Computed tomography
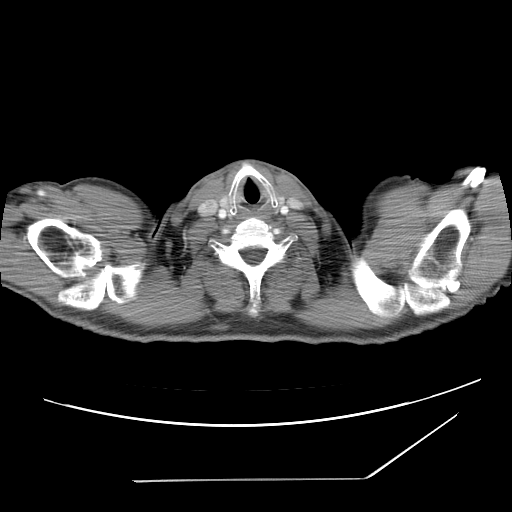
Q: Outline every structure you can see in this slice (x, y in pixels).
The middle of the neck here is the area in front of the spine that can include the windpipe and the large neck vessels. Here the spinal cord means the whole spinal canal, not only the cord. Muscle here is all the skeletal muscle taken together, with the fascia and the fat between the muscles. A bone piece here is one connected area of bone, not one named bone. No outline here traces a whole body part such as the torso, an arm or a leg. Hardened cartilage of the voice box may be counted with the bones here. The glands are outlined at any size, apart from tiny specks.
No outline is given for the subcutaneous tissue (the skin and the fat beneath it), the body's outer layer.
A: {"thyroid_glands":[[[223,196],[227,196],[227,203],[228,204],[228,205],[227,206],[227,208],[224,208],[223,207],[222,207],[221,206],[221,205],[220,204],[220,199]],[[278,196],[283,196],[283,197],[284,198],[284,200],[283,201],[283,203],[282,204],[282,205],[279,208],[279,209],[278,210],[278,211],[276,213],[274,213],[274,211],[275,210],[275,209],[277,207],[277,206],[280,203],[279,202],[279,199],[278,198]]],"middle_of_the_neck":[[[248,176],[261,182],[274,214],[279,211],[285,198],[300,202],[303,208],[298,210],[290,207],[283,215],[265,219],[253,215],[240,221],[220,219],[217,215],[202,216],[198,213],[200,205],[210,200],[219,201],[220,206],[234,216],[238,211],[239,184]]],"spinal_cord":[[[247,247],[257,247],[258,248],[263,248],[266,250],[266,251],[264,254],[264,256],[263,257],[263,258],[257,264],[255,264],[254,265],[253,264],[250,264],[249,263],[246,262],[242,257],[242,255],[240,252],[240,250],[241,250],[244,248],[246,248]]],"bones":[[[452,209],[465,211],[471,229],[461,252],[459,287],[453,293],[444,292],[449,297],[449,305],[421,315],[414,314],[407,304],[396,315],[387,317],[373,313],[356,289],[351,263],[362,257],[387,283],[396,287],[408,283],[408,270],[418,243]],[[42,218],[59,218],[93,234],[100,241],[101,260],[86,271],[87,279],[107,263],[123,266],[144,262],[146,265],[135,298],[118,303],[105,294],[100,304],[92,310],[59,302],[57,297],[61,290],[85,279],[61,277],[32,248],[26,237],[27,227]],{"outer":[[253,216],[280,230],[280,233],[275,236],[276,240],[291,234],[297,235],[297,239],[286,251],[284,259],[269,267],[264,273],[255,316],[248,313],[252,302],[249,283],[244,274],[221,263],[209,243],[209,239],[213,238],[225,245],[228,244],[236,225]],"hole":[[247,247],[257,247],[258,248],[263,248],[266,250],[266,251],[264,254],[264,256],[263,257],[263,258],[257,264],[255,264],[254,265],[253,264],[250,264],[249,263],[246,262],[242,257],[242,255],[240,252],[240,250],[241,250],[244,248],[246,248]]},[[244,163],[248,163],[252,165],[271,183],[279,203],[275,208],[272,206],[269,195],[267,193],[262,182],[257,178],[248,175],[240,180],[237,187],[236,192],[236,210],[237,211],[234,215],[231,215],[229,213],[228,210],[229,204],[227,195],[235,174]]],"muscle":[{"outer":[[247,161],[291,176],[350,241],[371,232],[378,216],[377,196],[393,186],[413,180],[433,190],[446,185],[470,188],[488,178],[503,179],[511,207],[511,258],[506,273],[479,301],[457,314],[409,317],[372,329],[324,330],[289,314],[259,321],[237,315],[207,317],[148,329],[115,317],[58,315],[43,299],[0,273],[5,202],[40,184],[62,190],[79,183],[102,185],[137,202],[145,216],[144,230],[154,237],[204,180]],"holes":[[[244,163],[262,174],[277,196],[303,208],[290,207],[263,220],[280,230],[276,240],[291,234],[297,239],[284,259],[264,273],[255,316],[248,313],[252,302],[244,274],[221,263],[209,243],[213,238],[228,244],[240,220],[198,213],[204,202],[228,194]],[[452,209],[465,211],[471,229],[461,252],[459,287],[453,293],[444,292],[449,297],[449,305],[421,315],[414,314],[407,304],[396,315],[387,317],[373,313],[356,289],[351,263],[362,257],[387,283],[396,287],[408,283],[408,270],[418,243]],[[42,218],[59,218],[93,234],[100,241],[101,260],[86,271],[87,279],[107,263],[123,266],[144,262],[146,265],[135,298],[118,303],[105,294],[100,304],[92,310],[59,302],[57,297],[61,290],[85,279],[61,277],[32,248],[26,237],[27,227]]]}]}